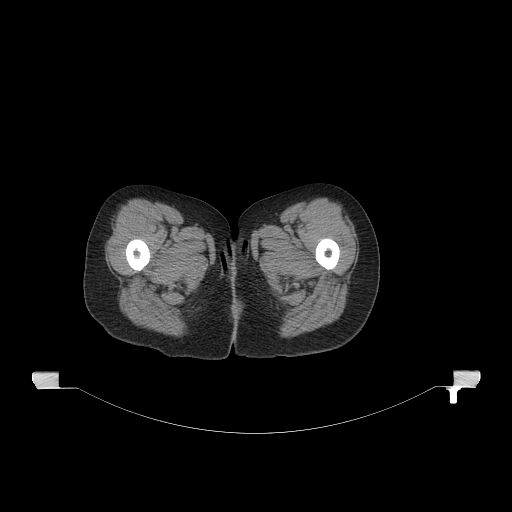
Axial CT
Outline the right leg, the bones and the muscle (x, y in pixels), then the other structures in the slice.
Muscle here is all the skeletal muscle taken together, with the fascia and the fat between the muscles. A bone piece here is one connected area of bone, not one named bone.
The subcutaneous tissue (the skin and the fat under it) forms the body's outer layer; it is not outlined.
The right leg is outlined by 135 183; 158 185; 199 198; 215 207; 227 219; 232 236; 231 259; 233 267; 235 335; 232 350; 226 358; 203 360; 189 357; 168 357; 155 349; 128 344; 111 337; 88 312; 83 296; 83 272; 85 248; 90 229; 103 201; 118 188. The bones appear in 2 outlined pieces: piece 1: 135 238; 140 238; 142 239; 147 244; 149 248; 149 251; 150 252; 150 259; 148 263; 141 270; 139 271; 134 270; 129 265; 126 259; 126 255; 125 254; 125 248; 126 247; 126 245; 127 243; 130 240; 132 239; 134 239; piece 2: 325 237; 328 237; 329 238; 331 238; 333 239; 338 244; 339 246; 339 258; 338 259; 338 261; 336 265; 332 269; 326 269; 324 268; 321 265; 320 265; 315 259; 315 248; 316 247; 316 245; 319 241; 319 240; 321 238; 324 238. The muscle appears in 2 outlined pieces: piece 1: 311 197; 329 197; 343 204; 345 213; 352 221; 358 238; 358 259; 351 274; 349 293; 340 318; 332 324; 311 332; 290 338; 281 338; 276 333; 280 323; 278 304; 268 289; 258 264; 253 259; 250 236; 254 229; 268 223; 290 205; inner edge: 325 237; 328 237; 329 238; 331 238; 333 239; 338 244; 339 246; 339 258; 338 259; 338 261; 336 265; 332 269; 326 269; 324 268; 321 265; 320 265; 315 259; 315 248; 316 247; 316 245; 319 241; 319 240; 321 238; 324 238; piece 2: 134 197; 173 206; 195 226; 202 227; 210 233; 214 239; 214 262; 209 266; 193 300; 183 308; 183 315; 190 329; 190 333; 183 337; 173 337; 140 328; 132 324; 119 310; 118 281; 105 261; 104 245; 112 232; 112 217; 121 204 with a hole at 135 238; 140 238; 142 239; 147 244; 149 248; 149 251; 150 252; 150 259; 148 263; 141 270; 139 271; 134 270; 129 265; 126 259; 126 255; 125 254; 125 248; 126 247; 126 245; 127 243; 130 240; 132 239; 134 239. The left leg is outlined by 318 181; 336 184; 351 193; 364 208; 374 228; 379 246; 380 278; 370 315; 361 331; 352 340; 331 351; 298 357; 248 358; 237 356; 233 351; 236 335; 236 305; 232 259; 232 243; 237 234; 237 220; 240 214; 257 200; 298 185.